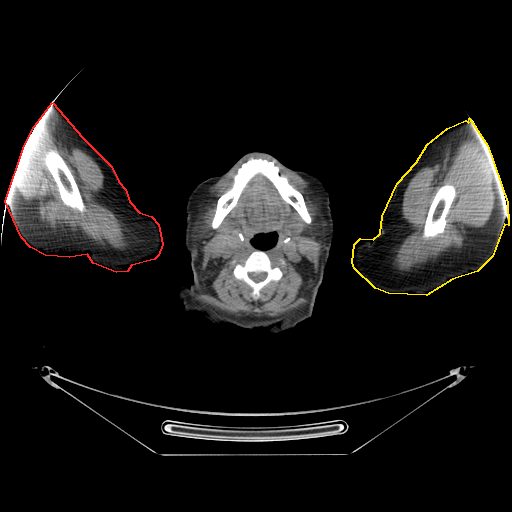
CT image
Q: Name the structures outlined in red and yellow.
A: red: right arm; yellow: left arm.
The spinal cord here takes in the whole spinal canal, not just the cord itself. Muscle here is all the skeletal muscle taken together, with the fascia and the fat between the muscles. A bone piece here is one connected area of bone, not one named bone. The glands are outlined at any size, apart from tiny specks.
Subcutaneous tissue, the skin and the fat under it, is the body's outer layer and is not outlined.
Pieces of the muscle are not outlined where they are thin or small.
Outlines:
right arm: (52, 102) (82, 137) (111, 166) (118, 181) (125, 189) (129, 201) (139, 212) (151, 216) (158, 224) (162, 244) (158, 255) (154, 259) (131, 265) (127, 271) (116, 272) (93, 263) (87, 254) (69, 257) (45, 255) (30, 247) (21, 237) (5, 201) (24, 145) (34, 126)
left arm: (469, 118) (487, 145) (507, 202) (508, 225) (504, 224) (492, 256) (477, 271) (452, 279) (426, 295) (388, 293) (375, 288) (354, 268) (352, 262) (354, 244) (360, 238) (373, 239) (380, 233) (382, 216) (397, 183) (416, 162) (427, 144) (447, 128) (465, 120) (468, 122)
muscle 1: (257, 154) (272, 160) (261, 157) (253, 157) (251, 156) (247, 160) (240, 165) (233, 176) (231, 186) (216, 201) (211, 228) (220, 226) (260, 173) (307, 224) (305, 234) (318, 242) (324, 239) (308, 302) (277, 316) (236, 315) (191, 294) (200, 283) (196, 244) (213, 235) (207, 221) (197, 218) (198, 206) (211, 186) (244, 159) (249, 156), around a hole outlined by (271, 232) (277, 234) (277, 239) (273, 245) (263, 250) (270, 260) (279, 266) (282, 276) (277, 281) (267, 283) (260, 290) (259, 297) (254, 299) (251, 294) (252, 288) (243, 280) (237, 279) (233, 275) (233, 269) (237, 262) (244, 260) (259, 248) (252, 244) (254, 236)
muscle 2: (470, 133) (475, 133) (483, 137) (497, 170) (496, 199) (492, 217) (488, 221) (488, 223) (481, 234) (457, 252) (415, 271) (400, 272) (396, 270) (386, 259) (386, 251) (398, 226) (402, 196) (409, 181) (421, 168) (428, 165) (438, 158) (444, 152) (448, 144) (454, 137), around a hole outlined by (445, 184) (451, 184) (453, 185) (455, 188) (456, 193) (455, 194) (455, 197) (452, 201) (449, 208) (449, 211) (445, 218) (446, 223) (444, 227) (444, 230) (442, 233) (440, 233) (435, 237) (432, 237) (431, 238) (424, 237) (422, 236) (422, 234) (429, 207) (438, 188)
muscle 3: (44, 112) (48, 114) (54, 120) (62, 134) (90, 155) (101, 169) (104, 176) (109, 199) (124, 220) (129, 235) (130, 240) (129, 246) (127, 248) (118, 252) (98, 245) (91, 241) (47, 227) (43, 227) (20, 204) (12, 181) (12, 177) (24, 145) (34, 128) (34, 126) with a hole at (50, 148) (51, 149) (56, 150) (68, 166) (79, 189) (80, 194) (82, 197) (82, 199) (85, 206) (85, 211) (80, 212) (76, 209) (73, 209) (65, 205) (63, 203) (60, 197) (56, 183) (51, 173) (47, 169) (43, 160) (44, 155) (46, 151)
muscle 4: (275, 162) (285, 169) (302, 177) (306, 181) (309, 182) (309, 184) (315, 189) (317, 196) (320, 198) (319, 199) (320, 203) (319, 205) (320, 206) (321, 217) (312, 221) (312, 217) (306, 205) (304, 196) (289, 182) (288, 179) (284, 175) (279, 173) (279, 167) (275, 164)
head and neck: (252, 151) (266, 152) (290, 168) (317, 177) (328, 191) (334, 226) (329, 255) (311, 316) (293, 328) (277, 333) (262, 328) (213, 324) (195, 311) (185, 312) (177, 297) (177, 286) (189, 285) (193, 279) (190, 254) (185, 245) (189, 195) (199, 183) (224, 173) (242, 155); inner edge: (271, 232) (275, 232) (277, 234) (277, 239) (275, 243) (270, 247) (268, 247) (265, 249) (260, 249) (258, 247) (256, 247) (252, 244) (252, 242) (251, 241) (252, 240) (252, 238) (253, 238) (254, 236) (256, 236) (258, 234) (267, 234)
spinal cord: (250, 272) (265, 272) (266, 273) (266, 277) (263, 280) (262, 280) (261, 281) (259, 281) (258, 282) (256, 282) (255, 281) (254, 281) (251, 278) (250, 278) (249, 277) (249, 276) (248, 275) (248, 273) (249, 273)
parotid glands 1: (198, 219) (202, 219) (203, 220) (206, 221) (209, 228) (211, 230) (211, 231) (212, 232) (212, 235) (211, 236) (210, 239) (209, 239) (207, 241) (204, 242) (202, 244) (201, 244) (200, 243) (195, 243) (192, 238) (192, 229) (194, 226) (194, 224) (195, 223) (195, 222)
parotid glands 2: (319, 218) (321, 218) (325, 221) (325, 227) (326, 228) (325, 229) (325, 234) (324, 235) (324, 238) (323, 238) (320, 241) (318, 241) (317, 240) (315, 240) (314, 239) (312, 239) (310, 238) (306, 234) (305, 232) (305, 229) (306, 228) (306, 226)
bones 1: (251, 157) (274, 161) (274, 164) (278, 167) (278, 173) (284, 176) (303, 196) (311, 217) (310, 223) (306, 223) (298, 212) (282, 198) (274, 184) (266, 176) (258, 172) (244, 186) (236, 204) (219, 226) (215, 229) (212, 228) (211, 223) (218, 199) (232, 186) (238, 169)
bones 2: (50, 148) (51, 149) (56, 150) (68, 166) (79, 189) (80, 194) (82, 197) (82, 199) (85, 206) (85, 211) (80, 212) (76, 209) (73, 209) (65, 205) (63, 203) (60, 197) (56, 183) (51, 173) (47, 169) (43, 160) (44, 155) (46, 151)
bones 3: (257, 249) (263, 250) (270, 260) (274, 264) (277, 264) (279, 266) (282, 272) (282, 276) (277, 281) (272, 280) (267, 283) (260, 290) (259, 297) (257, 299) (254, 299) (251, 294) (252, 288) (243, 280) (237, 279) (233, 275) (233, 269) (237, 262) (244, 260) (253, 251), around a hole outlined by (250, 272) (265, 272) (266, 273) (266, 277) (263, 280) (262, 280) (261, 281) (259, 281) (258, 282) (256, 282) (255, 281) (254, 281) (251, 278) (250, 278) (249, 277) (249, 276) (248, 275) (248, 273) (249, 273)
bones 4: (445, 184) (451, 184) (453, 185) (455, 188) (456, 193) (455, 194) (455, 197) (452, 201) (449, 208) (449, 211) (445, 218) (446, 223) (444, 227) (444, 230) (442, 233) (440, 233) (435, 237) (432, 237) (431, 238) (424, 237) (422, 236) (422, 234) (429, 207) (438, 188)